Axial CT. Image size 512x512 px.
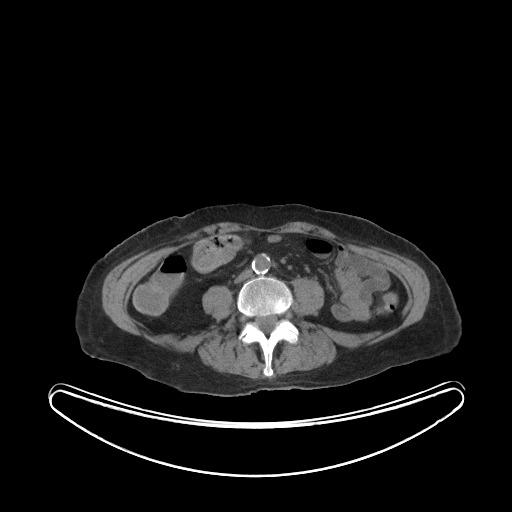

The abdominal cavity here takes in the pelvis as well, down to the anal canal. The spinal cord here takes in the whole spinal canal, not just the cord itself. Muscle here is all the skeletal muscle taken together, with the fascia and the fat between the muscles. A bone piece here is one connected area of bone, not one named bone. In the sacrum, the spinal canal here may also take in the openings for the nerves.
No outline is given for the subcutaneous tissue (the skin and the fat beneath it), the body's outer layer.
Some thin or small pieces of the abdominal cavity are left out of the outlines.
Outlines:
abdominal cavity: 251,231 319,235 390,271 407,296 398,319 385,329 336,329 308,318 325,302 317,279 296,277 291,289 259,275 241,285 236,299 227,285 207,288 201,306 216,323 155,333 128,309 134,286 169,254 210,236
torso: 234,202 301,203 368,219 408,239 436,263 452,290 462,317 458,345 445,355 391,367 345,385 260,390 232,397 180,392 127,366 87,355 79,346 74,312 77,296 92,264 125,238 155,221 181,216 202,206
spinal cord: 270,315 275,315 277,318 277,320 276,321 276,323 275,324 274,327 271,330 271,331 268,334 266,334 263,331 262,331 257,326 257,325 256,324 256,318 257,318 258,317 265,317 266,316 269,316
muscle: 293,221 302,221 303,222 308,222 312,224 315,224 321,226 331,231 336,235 347,240 355,240 363,243 372,244 377,247 387,249 400,255 402,255 417,263 424,270 429,280 429,285 430,286 429,300 426,309 424,312 424,314 420,320 405,327 397,333 373,344 361,346 354,349 347,349 346,348 340,352 338,354 337,357 330,364 327,365 322,369 311,372 308,374 304,374 303,375 299,375 293,377 279,376 273,379 267,379 266,378 265,379 253,379 252,378 249,378 236,374 221,373 214,370 209,366 204,365 197,357 193,355 191,355 188,353 180,353 170,349 167,349 159,345 154,344 141,336 132,334 121,329 110,319 104,312 102,308 102,300 101,299 102,296 102,286 103,285 104,279 107,274 116,265 122,261 146,249 147,247 177,238 180,236 190,233 206,225 209,225 218,222 235,222 236,223 245,224 258,228 272,228, around a hole outlined by 251,231 319,235 390,271 407,296 398,319 365,332 313,321 324,288 296,277 285,317 298,339 275,345 271,376 263,373 259,343 238,339 245,321 227,285 201,296 216,323 155,333 128,309 134,286 169,254
bones: 259,276 275,277 285,282 290,288 293,302 285,317 299,331 295,343 280,340 275,345 272,351 273,374 271,376 266,376 263,373 265,359 259,343 255,341 247,344 238,339 245,321 237,308 237,295 246,281 with a hole at 270,315 275,315 277,318 277,320 276,321 276,323 275,324 274,327 271,330 271,331 268,334 266,334 263,331 262,331 257,326 257,325 256,324 256,318 257,318 258,317 265,317 266,316 269,316